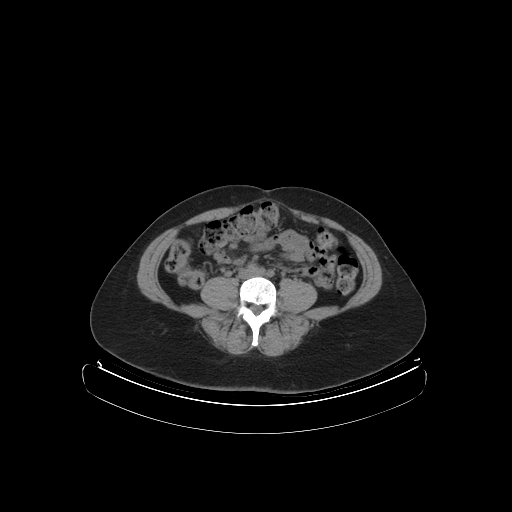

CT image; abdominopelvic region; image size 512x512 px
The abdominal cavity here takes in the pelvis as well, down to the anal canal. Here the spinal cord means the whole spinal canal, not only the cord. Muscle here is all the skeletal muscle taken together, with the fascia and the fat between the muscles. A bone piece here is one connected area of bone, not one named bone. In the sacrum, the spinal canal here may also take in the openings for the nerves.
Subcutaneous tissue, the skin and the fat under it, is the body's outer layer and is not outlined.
{"bones":[{"outer":[[253,276],[261,276],[267,278],[274,284],[276,288],[275,305],[277,311],[276,314],[272,316],[269,321],[264,323],[260,327],[258,334],[258,343],[256,346],[252,346],[251,344],[251,328],[241,317],[238,318],[236,316],[240,303],[239,287],[244,280]],"hole":[[250,304],[254,304],[255,305],[262,305],[263,306],[263,309],[258,314],[255,314],[251,310],[251,309],[250,308],[250,307],[249,306],[250,305]]}],"abdominal_cavity":[[[263,201],[302,221],[343,233],[362,267],[357,290],[342,305],[311,308],[318,293],[307,281],[282,277],[277,289],[261,275],[250,276],[240,284],[237,277],[218,275],[209,278],[200,290],[205,305],[176,303],[162,287],[158,270],[179,232]]],"torso":[[[225,184],[249,184],[264,189],[281,186],[309,187],[332,195],[363,214],[377,229],[423,298],[426,326],[414,349],[400,361],[373,375],[337,387],[289,395],[192,387],[146,373],[102,349],[92,335],[89,313],[92,300],[110,268],[165,210],[191,195]]],"spinal_cord":[[[250,304],[254,304],[255,305],[262,305],[263,306],[263,309],[258,314],[255,314],[251,310],[251,309],[250,308],[250,307],[249,306],[250,305]]],"muscle":[[[259,198],[271,198],[292,208],[336,221],[359,236],[374,251],[382,271],[381,287],[369,301],[321,320],[296,348],[274,357],[262,354],[257,346],[261,327],[278,312],[277,290],[282,278],[307,282],[315,289],[317,298],[311,309],[319,306],[342,306],[360,287],[363,279],[361,261],[340,230],[322,223],[302,220],[287,209],[263,200],[246,204],[223,217],[186,225],[178,232],[159,263],[157,277],[161,287],[178,305],[199,303],[205,306],[200,293],[209,279],[218,276],[237,278],[239,303],[235,316],[241,318],[251,330],[252,347],[246,354],[234,355],[214,347],[196,327],[193,318],[147,298],[140,291],[136,279],[143,252],[151,241],[165,230],[204,211],[235,206]]]}